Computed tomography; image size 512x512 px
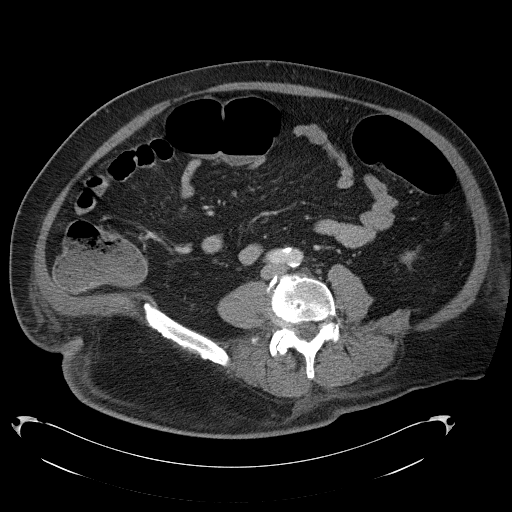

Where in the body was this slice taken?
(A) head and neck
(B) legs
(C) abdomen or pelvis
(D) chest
Answer: (C) abdomen or pelvis
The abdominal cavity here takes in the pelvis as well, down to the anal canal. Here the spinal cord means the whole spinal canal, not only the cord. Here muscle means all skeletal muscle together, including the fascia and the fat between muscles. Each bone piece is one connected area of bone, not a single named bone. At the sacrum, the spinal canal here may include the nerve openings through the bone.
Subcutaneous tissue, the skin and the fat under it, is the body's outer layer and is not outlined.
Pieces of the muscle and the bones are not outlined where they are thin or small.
{"abdominal_cavity":[[[236,90],[357,103],[434,143],[473,221],[475,255],[459,291],[418,322],[408,307],[368,319],[374,298],[335,263],[332,293],[297,272],[238,285],[215,308],[242,330],[210,336],[172,318],[144,289],[71,293],[56,284],[46,244],[74,183],[172,104]]],"torso":[[[253,59],[298,62],[393,85],[442,111],[477,146],[505,204],[510,247],[504,317],[482,377],[416,389],[306,431],[204,438],[140,426],[85,405],[63,377],[62,356],[25,335],[10,295],[10,237],[27,189],[56,149],[92,112],[131,88],[193,68]]],"muscle":[[[241,81],[299,84],[407,112],[456,148],[480,188],[491,226],[492,251],[475,300],[463,314],[445,325],[408,332],[401,342],[402,352],[396,365],[369,382],[346,388],[314,387],[303,396],[286,400],[258,392],[205,360],[223,367],[229,364],[227,351],[207,336],[221,337],[243,330],[225,321],[216,307],[224,296],[246,282],[266,284],[269,309],[278,318],[268,342],[270,355],[283,356],[289,349],[294,349],[303,356],[305,374],[310,380],[315,377],[317,352],[326,341],[336,343],[341,337],[341,326],[334,319],[337,311],[328,280],[328,272],[335,264],[343,265],[358,276],[373,298],[365,316],[368,320],[399,308],[408,308],[412,321],[418,323],[447,304],[466,282],[475,260],[476,233],[472,212],[450,159],[417,129],[381,110],[357,102],[261,89],[190,95],[153,116],[73,183],[46,239],[45,262],[51,280],[71,294],[144,290],[159,308],[144,301],[143,317],[146,324],[159,333],[123,315],[62,314],[49,304],[40,290],[32,263],[39,225],[52,202],[91,154],[120,127],[159,102],[189,91]]],"bones":[{"outer":[[288,273],[316,278],[328,287],[336,311],[333,319],[340,326],[338,341],[326,340],[316,352],[312,379],[307,377],[306,361],[300,352],[291,347],[283,355],[272,356],[269,350],[269,342],[278,327],[279,318],[270,309],[270,295],[266,288],[275,276]],"hole":[[302,322],[313,322],[316,324],[316,325],[318,328],[318,330],[317,331],[316,334],[312,338],[311,338],[309,340],[307,340],[304,338],[302,338],[301,337],[299,337],[296,334],[296,333],[295,332],[295,329],[294,328],[294,326],[295,325],[297,325]]},[[144,302],[148,302],[152,306],[161,310],[180,324],[206,336],[215,342],[223,348],[228,354],[229,356],[228,364],[226,366],[223,366],[208,359],[203,359],[198,353],[182,347],[173,340],[164,337],[158,331],[150,327],[147,324],[144,317],[143,309]]],"spinal_cord":[[[302,322],[313,322],[316,324],[316,325],[318,328],[318,330],[317,331],[316,334],[312,338],[311,338],[309,340],[307,340],[304,338],[302,338],[301,337],[299,337],[296,334],[296,333],[295,332],[295,329],[294,328],[294,326],[295,325],[297,325]]]}